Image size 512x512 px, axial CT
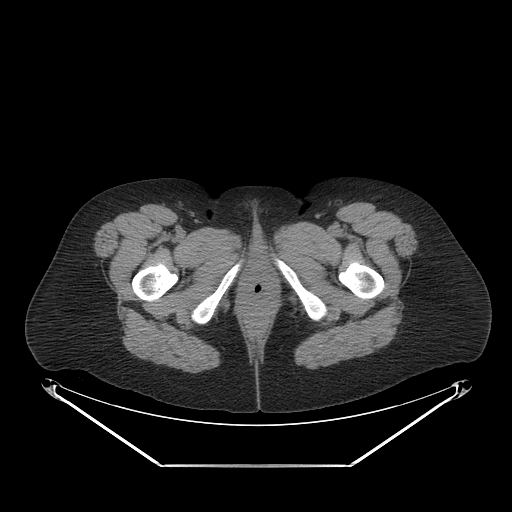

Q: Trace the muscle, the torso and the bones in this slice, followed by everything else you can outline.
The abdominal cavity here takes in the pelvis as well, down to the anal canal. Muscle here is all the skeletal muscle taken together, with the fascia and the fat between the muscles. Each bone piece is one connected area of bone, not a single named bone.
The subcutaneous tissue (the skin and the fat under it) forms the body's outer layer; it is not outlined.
A: {"muscle":[{"outer":[[355,201],[391,208],[411,224],[418,240],[399,292],[404,305],[399,332],[379,351],[318,369],[296,365],[292,351],[311,331],[287,300],[276,314],[261,360],[257,352],[250,359],[237,318],[228,310],[218,313],[204,337],[221,353],[222,362],[213,369],[184,372],[139,359],[125,348],[116,294],[106,283],[93,250],[95,232],[116,214],[146,203],[164,203],[191,226],[230,229],[248,244],[268,241],[282,225],[318,222]],"holes":[[[255,265],[263,266],[264,268],[273,274],[277,281],[277,297],[275,302],[275,307],[271,314],[271,317],[267,325],[267,328],[265,330],[265,333],[257,345],[255,345],[251,341],[244,327],[242,316],[238,305],[239,303],[238,290],[240,282],[244,275]],[[159,263],[163,264],[171,272],[175,273],[178,276],[178,279],[176,283],[174,284],[158,299],[153,301],[142,300],[140,299],[134,293],[132,289],[132,286],[131,285],[131,281],[132,280],[132,278],[136,272],[141,268],[143,268],[150,265],[156,265]],[[352,262],[358,262],[361,264],[365,264],[368,266],[370,266],[376,270],[382,276],[384,280],[384,288],[382,291],[375,297],[373,298],[368,298],[367,299],[364,299],[358,297],[339,280],[338,278],[338,274],[339,272],[343,271],[349,265],[349,264]],[[274,257],[276,257],[282,260],[287,264],[296,273],[302,285],[306,289],[319,297],[324,302],[327,306],[327,314],[324,317],[318,321],[315,321],[311,319],[308,316],[305,310],[305,308],[296,292],[292,288],[290,284],[274,263],[274,260],[273,259]],[[240,260],[242,260],[241,266],[232,282],[222,295],[213,312],[213,314],[211,318],[204,324],[198,324],[194,322],[191,319],[191,317],[190,316],[191,315],[192,310],[203,299],[210,295],[216,289],[223,276],[227,272],[227,271],[233,265]]]}],"torso":[[[333,176],[403,186],[440,214],[490,297],[491,329],[476,360],[434,368],[367,397],[320,409],[232,413],[171,405],[84,370],[45,369],[34,359],[24,335],[28,304],[72,216],[97,193],[135,180],[178,177],[202,184],[213,196],[252,184],[300,195]]],"bones":[[[159,263],[163,264],[171,272],[175,273],[178,276],[178,279],[176,283],[174,284],[158,299],[153,301],[142,300],[140,299],[134,293],[132,289],[132,286],[131,285],[131,281],[132,280],[132,278],[136,272],[141,268],[143,268],[150,265],[156,265]],[[352,262],[358,262],[361,264],[365,264],[368,266],[370,266],[376,270],[382,276],[384,280],[384,288],[382,291],[375,297],[373,298],[368,298],[367,299],[364,299],[358,297],[339,280],[338,278],[338,274],[339,272],[343,271],[349,265],[349,264]],[[274,257],[276,257],[282,260],[287,264],[296,273],[302,285],[306,289],[319,297],[324,302],[327,306],[327,314],[324,317],[318,321],[315,321],[311,319],[308,316],[305,310],[305,308],[296,292],[292,288],[290,284],[274,263],[274,260],[273,259]],[[240,260],[242,260],[241,266],[232,282],[222,295],[213,312],[213,314],[211,318],[204,324],[198,324],[194,322],[191,319],[191,317],[190,316],[191,315],[192,310],[203,299],[210,295],[216,289],[223,276],[227,272],[227,271],[233,265]]],"abdominal_cavity":[[[255,265],[263,266],[264,268],[273,274],[277,281],[277,297],[275,302],[275,307],[271,314],[271,317],[267,325],[267,328],[265,330],[265,333],[257,345],[255,345],[251,341],[244,327],[242,316],[238,305],[239,303],[238,290],[240,282],[244,275]]]}